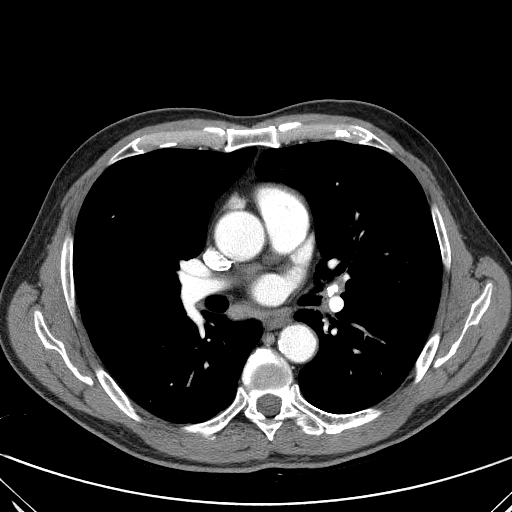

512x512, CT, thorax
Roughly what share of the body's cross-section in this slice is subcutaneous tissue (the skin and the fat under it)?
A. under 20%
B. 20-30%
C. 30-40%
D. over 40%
Answer: A. under 20%
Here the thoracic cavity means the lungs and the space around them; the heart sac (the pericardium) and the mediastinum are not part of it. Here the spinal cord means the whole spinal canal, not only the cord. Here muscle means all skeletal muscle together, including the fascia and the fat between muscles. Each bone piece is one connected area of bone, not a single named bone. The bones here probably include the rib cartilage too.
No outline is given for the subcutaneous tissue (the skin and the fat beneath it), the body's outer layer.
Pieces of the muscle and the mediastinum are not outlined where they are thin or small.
{"pericardium":[[[265,182],[283,186],[303,199],[310,214],[313,239],[311,262],[306,277],[307,283],[303,290],[289,303],[272,307],[260,307],[248,304],[224,291],[211,281],[208,276],[208,268],[204,261],[210,226],[214,215],[223,200],[233,191],[245,188],[255,183]]],"muscle":[{"outer":[[302,113],[320,113],[355,117],[371,123],[393,137],[404,149],[420,159],[430,169],[442,191],[443,198],[454,220],[458,225],[458,229],[462,235],[463,242],[466,248],[471,253],[474,259],[474,262],[476,263],[479,257],[487,255],[491,257],[504,269],[508,276],[511,287],[510,315],[507,324],[503,330],[500,338],[497,341],[495,347],[492,350],[490,356],[485,363],[471,377],[456,389],[420,405],[396,431],[386,438],[356,449],[341,453],[316,454],[315,455],[284,454],[273,452],[267,458],[262,460],[254,459],[239,462],[214,463],[181,458],[168,455],[163,452],[158,451],[146,444],[137,435],[128,429],[74,408],[50,391],[27,369],[17,357],[9,340],[6,320],[7,309],[9,303],[14,292],[23,281],[26,281],[30,284],[36,284],[38,282],[39,270],[47,255],[47,245],[51,241],[51,237],[56,229],[62,213],[61,202],[63,197],[71,185],[111,146],[123,137],[138,129],[150,125],[175,120],[189,118],[204,118],[212,120],[223,120],[250,127],[258,122],[261,122],[277,116]],"holes":[[[288,121],[369,130],[437,205],[451,260],[449,271],[442,268],[429,333],[440,332],[434,361],[457,339],[486,283],[488,307],[446,361],[432,363],[415,384],[411,370],[374,405],[383,411],[378,417],[338,433],[308,434],[288,418],[269,440],[239,413],[208,439],[134,402],[143,419],[134,420],[99,382],[94,368],[102,362],[78,306],[76,322],[67,307],[60,275],[66,233],[74,234],[111,156],[133,139]],[[35,310],[39,310],[41,312],[43,316],[43,319],[49,330],[56,338],[63,343],[66,353],[70,361],[82,374],[90,377],[93,382],[91,385],[89,385],[77,378],[66,365],[62,356],[56,350],[51,348],[46,348],[43,345],[34,326],[33,313]]]}],"mediastinum":[{"outer":[[255,146],[267,147],[258,157],[255,175],[282,183],[305,198],[320,254],[310,291],[298,300],[293,314],[316,332],[319,347],[296,379],[277,352],[256,347],[263,332],[259,320],[233,320],[224,313],[207,288],[200,266],[216,200],[250,165],[257,153]],"hole":[[265,182],[283,186],[303,199],[310,214],[313,239],[311,262],[306,277],[307,283],[303,290],[289,303],[272,307],[260,307],[248,304],[224,291],[211,281],[208,276],[208,268],[204,261],[210,226],[214,215],[223,200],[233,191],[245,188],[255,183]]}],"spinal_cord":[[[266,394],[271,394],[276,397],[278,397],[280,400],[280,406],[279,407],[279,410],[278,411],[278,412],[277,412],[273,415],[266,415],[262,412],[259,411],[257,408],[257,401],[258,400],[258,399],[260,397],[261,397]]],"bones":[{"outer":[[257,347],[270,348],[287,363],[300,393],[315,407],[334,414],[353,413],[373,406],[383,412],[361,425],[319,435],[305,433],[293,419],[288,418],[275,431],[272,440],[241,413],[216,432],[214,439],[181,430],[182,425],[212,418],[233,401],[245,363]],"hole":[[266,394],[271,394],[276,397],[278,397],[280,400],[280,406],[279,407],[279,410],[278,411],[278,412],[277,412],[273,415],[266,415],[262,412],[259,411],[257,408],[257,401],[258,400],[258,399],[260,397],[261,397]]},[[288,121],[300,121],[304,124],[356,124],[385,142],[393,150],[392,154],[371,145],[341,139],[305,139],[279,147],[251,145],[232,151],[217,150],[200,144],[160,147],[107,165],[113,154],[144,134],[201,129],[205,126],[224,129],[259,128],[277,126]],[[489,281],[492,283],[490,301],[478,323],[470,325],[466,329],[455,352],[446,361],[438,367],[434,367],[432,363],[421,379],[414,384],[412,370],[429,336],[437,330],[440,332],[440,338],[433,360],[446,354],[459,336],[471,304],[482,293],[486,283]],[[68,231],[73,235],[72,272],[73,273],[73,283],[74,284],[74,291],[75,292],[75,299],[76,300],[76,317],[77,318],[77,321],[76,322],[74,322],[72,319],[67,307],[67,304],[63,293],[61,276],[60,275],[61,249],[62,248],[64,237]],[[35,310],[39,310],[41,312],[43,316],[43,319],[49,330],[56,338],[63,343],[66,353],[70,361],[82,374],[90,377],[93,382],[91,385],[89,385],[77,378],[66,365],[62,356],[56,350],[51,348],[46,348],[43,345],[34,326],[33,313]],[[97,365],[100,365],[104,368],[104,369],[112,377],[112,378],[116,382],[124,393],[131,400],[136,409],[137,413],[143,419],[143,421],[142,422],[136,421],[128,416],[123,411],[122,411],[111,399],[108,394],[104,390],[95,374],[94,368]],[[432,203],[435,203],[437,205],[441,213],[444,222],[444,225],[446,229],[446,233],[448,237],[449,247],[450,248],[450,256],[451,257],[449,271],[445,270],[443,267],[439,243],[430,209],[430,206]]],"thoracic_cavity":[[[198,145],[224,152],[256,148],[243,173],[215,200],[199,253],[199,266],[206,288],[223,313],[233,321],[257,320],[262,332],[244,363],[232,401],[206,420],[183,424],[159,417],[133,402],[105,369],[77,305],[73,246],[84,199],[109,166],[154,149]],[[305,140],[371,146],[402,162],[417,179],[429,205],[442,264],[437,310],[412,369],[389,395],[348,413],[315,406],[303,396],[296,381],[320,347],[317,332],[294,317],[299,300],[311,291],[321,259],[310,206],[298,190],[260,178],[255,172],[266,149]]],"torso":[[[325,98],[368,101],[417,128],[439,151],[511,259],[511,343],[477,387],[421,430],[365,456],[320,469],[274,467],[218,473],[182,471],[140,461],[76,423],[22,380],[0,347],[0,288],[55,175],[82,142],[114,121],[150,109],[199,107],[255,115]]]}